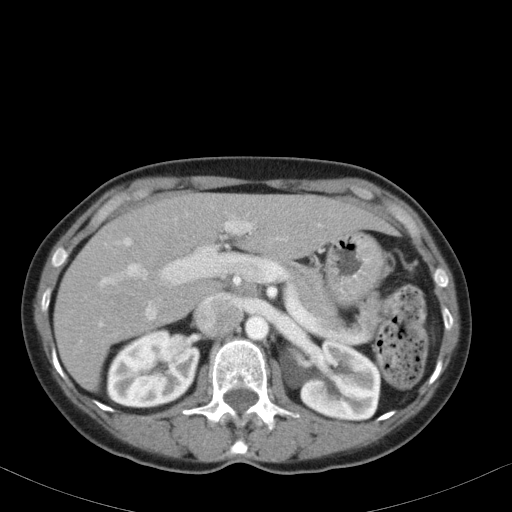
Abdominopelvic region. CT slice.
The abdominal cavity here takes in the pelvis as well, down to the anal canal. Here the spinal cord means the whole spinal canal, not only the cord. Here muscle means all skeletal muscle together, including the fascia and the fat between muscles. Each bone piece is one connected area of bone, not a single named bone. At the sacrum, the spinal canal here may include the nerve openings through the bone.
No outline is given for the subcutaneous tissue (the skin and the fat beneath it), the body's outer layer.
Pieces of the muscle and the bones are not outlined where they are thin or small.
The abdominal cavity is outlined by 242 184; 323 192; 386 218; 415 243; 437 286; 445 330; 433 370; 405 406; 365 421; 318 415; 288 396; 282 365; 268 364; 262 349; 242 337; 211 349; 189 395; 149 413; 106 404; 68 377; 48 309; 72 250; 99 224; 136 205. The spinal cord is outlined by 239 388; 246 388; 247 389; 249 389; 253 391; 257 395; 257 400; 256 402; 250 405; 241 413; 239 413; 234 408; 233 408; 224 400; 224 395; 225 393; 226 393; 228 391; 232 389; 238 389. The muscle is outlined by 155 175; 163 175; 164 176; 165 175; 173 175; 174 176; 215 175; 216 176; 227 176; 228 177; 243 178; 244 179; 274 179; 275 178; 319 179; 320 178; 358 177; 374 183; 376 185; 396 195; 406 202; 421 218; 451 271; 454 280; 454 284; 456 290; 456 297; 458 303; 459 323; 460 324; 459 340; 457 346; 453 352; 451 359; 445 371; 441 376; 440 383; 429 401; 415 415; 389 433; 386 434; 376 442; 374 442; 367 446; 358 449; 352 449; 349 451; 336 452; 317 458; 312 458; 299 461; 292 461; 291 462; 280 462; 279 463; 259 461; 255 459; 251 459; 245 457; 232 457; 214 462; 198 462; 197 461; 184 460; 183 459; 159 455; 155 453; 151 453; 134 447; 115 437; 94 419; 78 408; 66 396; 53 377; 51 372; 51 366; 43 350; 39 334; 35 327; 33 319; 33 312; 34 311; 33 304; 36 296; 36 292; 38 288; 41 272; 46 259; 55 243; 70 227; 75 220; 104 192; 123 182; 129 182; 139 177; 154 176; inner edges: 242 184; 320 191; 382 216; 415 243; 432 273; 437 267; 445 271; 448 284; 437 286; 435 292; 441 307; 449 310; 453 325; 444 331; 437 357; 442 369; 431 384; 424 381; 415 397; 393 415; 379 421; 318 415; 288 396; 282 365; 274 359; 267 365; 269 399; 300 417; 276 414; 272 430; 251 420; 239 427; 229 417; 210 425; 202 414; 181 412; 211 400; 209 362; 201 368; 189 395; 149 413; 115 407; 113 412; 103 410; 53 366; 48 312; 40 307; 43 292; 54 287; 62 267; 54 267; 51 258; 59 246; 69 254; 94 229; 90 218; 106 200; 121 191; 130 194; 143 189; 146 194; 131 195; 102 223; 139 204, then 388 201; 390 201; 391 202; 394 202; 396 204; 401 206; 413 218; 413 219; 415 221; 416 224; 418 226; 420 230; 420 237; 419 239; 414 239; 410 235; 407 228; 391 213; 390 213; 389 211; 388 211; 387 209; 387 202, then 240 438; 241 439; 242 439; 244 441; 244 442; 247 445; 247 451; 244 454; 231 454; 229 452; 229 450; 230 449; 230 447; 234 443; 234 442; 237 439; 239 439, then 351 186; 356 186; 357 187; 360 187; 361 188; 364 188; 365 189; 367 189; 369 191; 370 191; 373 194; 373 197; 370 199; 366 199; 365 198; 363 198; 362 197; 359 196; 357 194; 356 194; 353 191; 352 191; 350 188; 350 187. The torso is outlined by 223 155; 308 157; 371 169; 410 194; 451 245; 471 305; 467 361; 443 407; 396 450; 360 465; 316 473; 277 474; 241 462; 204 474; 166 471; 96 446; 65 419; 42 389; 26 352; 20 305; 29 263; 46 234; 117 174; 158 161. The bones appear in 8 outlined pieces: piece 1: 236 338; 246 339; 261 349; 269 370; 269 399; 287 410; 298 412; 299 418; 276 414; 275 426; 269 430; 264 423; 257 425; 251 420; 239 427; 229 417; 222 423; 210 425; 202 414; 181 412; 211 400; 213 388; 209 362; 212 349 with a hole at 239 388; 246 388; 247 389; 249 389; 253 391; 257 395; 257 400; 256 402; 250 405; 241 413; 239 413; 234 408; 233 408; 224 400; 224 395; 225 393; 226 393; 228 391; 232 389; 238 389; piece 2: 138 189; 146 190; 146 194; 144 196; 142 197; 136 197; 134 195; 131 195; 129 199; 126 199; 114 208; 104 218; 104 219; 103 219; 95 227; 89 225; 90 218; 102 204; 110 197; 121 191; 126 191; 130 194; 133 191; 135 191; piece 3: 388 201; 390 201; 391 202; 394 202; 396 204; 401 206; 413 218; 413 219; 415 221; 416 224; 418 226; 420 230; 420 237; 419 239; 414 239; 410 235; 407 228; 391 213; 390 213; 389 211; 388 211; 387 209; 387 202; piece 4: 59 246; 62 246; 67 251; 67 252; 68 253; 68 256; 67 257; 67 258; 65 260; 64 263; 62 265; 61 265; 60 266; 58 266; 57 267; 54 267; 51 264; 51 258; 52 257; 52 255; 53 254; 53 253; 55 251; 55 250; piece 5: 437 267; 440 267; 441 268; 442 268; 445 271; 445 272; 448 277; 448 284; 447 285; 447 286; 446 286; 445 287; 441 287; 440 286; 438 286; 436 284; 436 283; 434 280; 434 278; 433 277; 433 273; 434 272; 435 269; piece 6: 240 438; 241 439; 242 439; 244 441; 244 442; 247 445; 247 451; 244 454; 231 454; 229 452; 229 450; 230 449; 230 447; 234 443; 234 442; 237 439; 239 439; piece 7: 53 347; 55 349; 55 352; 56 353; 57 358; 59 361; 59 363; 60 364; 60 365; 61 366; 63 371; 67 376; 67 379; 66 380; 65 380; 58 373; 58 372; 55 369; 55 368; 53 366; 53 365; 52 364; 52 348; piece 8: 438 359; 440 359; 442 361; 442 365; 441 366; 442 367; 442 369; 441 370; 441 371; 440 372; 440 373; 439 374; 438 377; 431 384; 428 384; 427 381; 428 380; 428 379; 429 378; 430 375; 434 370; 434 368; 436 365; 436 362.